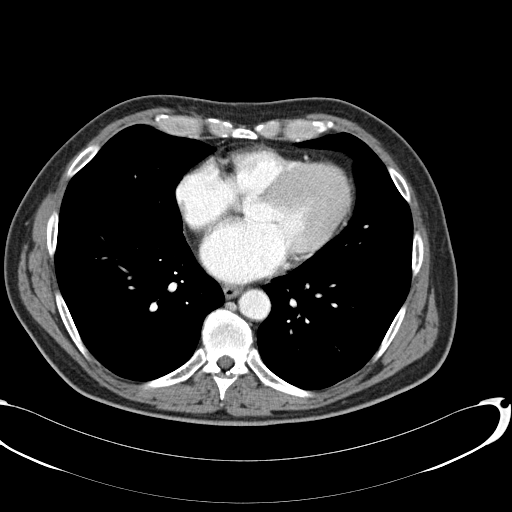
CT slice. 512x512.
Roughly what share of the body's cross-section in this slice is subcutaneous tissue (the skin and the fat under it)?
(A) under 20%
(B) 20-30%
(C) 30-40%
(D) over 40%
Answer: (A) under 20%
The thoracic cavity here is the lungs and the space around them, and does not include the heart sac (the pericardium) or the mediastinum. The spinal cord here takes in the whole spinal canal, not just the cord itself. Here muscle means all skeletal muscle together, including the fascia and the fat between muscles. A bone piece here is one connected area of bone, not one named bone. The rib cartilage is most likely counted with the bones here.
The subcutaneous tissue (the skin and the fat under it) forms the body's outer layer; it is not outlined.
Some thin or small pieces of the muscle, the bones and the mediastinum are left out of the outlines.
{"bones":[{"outer":[[218,308],[233,312],[247,322],[253,332],[253,346],[272,372],[297,387],[312,391],[314,396],[300,397],[277,390],[263,384],[251,370],[226,389],[222,400],[212,376],[198,370],[184,381],[142,388],[142,383],[171,372],[191,357],[201,343],[204,319]],"hole":[[222,356],[228,356],[230,358],[231,358],[232,359],[232,360],[233,361],[233,364],[229,368],[227,368],[226,369],[223,369],[222,368],[221,368],[219,366],[219,365],[218,364],[218,363],[217,362],[218,361],[218,360]]},[[161,113],[200,119],[213,117],[229,121],[235,127],[245,128],[251,128],[272,119],[285,122],[299,118],[331,121],[336,127],[317,137],[300,141],[265,137],[256,139],[218,137],[209,134],[204,134],[197,139],[170,134],[156,128],[153,125],[153,119]],[[56,290],[59,290],[83,343],[98,363],[94,361],[90,361],[88,360],[82,354],[72,340],[61,319],[61,317],[59,314],[59,312],[57,308],[57,305],[55,300],[55,296],[54,295],[54,292]],[[404,302],[406,302],[407,304],[406,306],[406,310],[405,311],[405,314],[403,317],[403,319],[399,326],[399,328],[397,332],[386,349],[378,358],[378,359],[374,362],[372,362],[371,363],[369,362],[368,363],[374,353],[378,349],[393,319]],[[94,143],[97,143],[101,146],[101,147],[99,149],[99,150],[95,154],[95,155],[71,178],[68,178],[66,176],[66,172],[69,168],[69,167],[71,165],[71,164],[73,162],[73,161],[76,158],[76,157],[87,146],[88,146],[91,144],[93,144]],[[53,210],[56,210],[58,212],[58,222],[57,223],[57,242],[56,243],[56,247],[55,248],[54,257],[53,258],[53,260],[52,260],[49,255],[49,252],[48,251],[48,249],[47,248],[47,221],[48,220],[48,218],[49,217],[50,214]],[[415,231],[419,231],[421,235],[422,240],[423,241],[423,257],[422,258],[422,261],[421,262],[421,265],[419,268],[419,270],[417,274],[415,276],[415,277],[413,279],[412,279],[412,270],[411,269],[411,262],[412,261],[412,244],[413,243],[413,235]],[[386,166],[390,166],[394,168],[403,177],[403,178],[405,180],[406,182],[406,184],[409,190],[409,193],[410,194],[410,203],[408,203],[401,195],[400,192],[398,190],[394,182],[392,180],[388,172],[388,170]]],"spinal_cord":[[[222,356],[228,356],[230,358],[231,358],[232,359],[232,360],[233,361],[233,364],[229,368],[227,368],[226,369],[223,369],[222,368],[221,368],[219,366],[219,365],[218,364],[218,363],[217,362],[218,361],[218,360]]],"torso":[[[148,94],[218,101],[333,97],[367,110],[397,131],[417,153],[435,184],[457,270],[455,331],[437,371],[404,392],[355,411],[311,421],[255,426],[152,417],[107,405],[72,388],[42,355],[10,305],[3,274],[8,228],[36,175],[76,131],[107,108]]],"mediastinum":[[[216,280],[224,284],[235,284],[241,286],[257,282],[266,282],[270,280],[269,282],[262,286],[262,289],[270,300],[271,308],[267,317],[259,324],[255,332],[255,335],[251,326],[241,316],[233,311],[220,307],[224,303],[225,298],[224,293]],[[213,136],[218,138],[235,138],[248,140],[265,138],[297,142],[295,144],[298,147],[302,148],[342,152],[352,160],[352,164],[351,167],[350,161],[337,153],[329,151],[286,148],[263,141],[230,142],[220,145],[216,149],[213,145],[199,139],[202,137]]],"muscle":[[[155,107],[167,107],[177,113],[195,113],[207,117],[161,112],[153,117],[152,125],[135,123],[122,128],[102,145],[97,142],[87,145],[66,170],[65,176],[69,180],[59,210],[53,209],[46,221],[46,248],[53,261],[58,286],[53,292],[56,308],[71,340],[88,361],[99,362],[123,379],[143,382],[139,386],[144,390],[184,382],[198,371],[209,374],[222,401],[227,389],[250,371],[265,386],[292,396],[312,398],[315,396],[313,390],[331,387],[367,363],[379,359],[404,319],[408,305],[405,300],[411,280],[418,274],[424,257],[422,235],[413,228],[410,190],[404,177],[394,167],[386,165],[363,140],[346,131],[325,133],[337,127],[333,121],[300,117],[282,121],[274,118],[310,113],[329,114],[359,125],[379,141],[412,186],[430,244],[429,286],[434,288],[439,318],[438,333],[432,347],[387,378],[339,400],[309,409],[273,410],[270,415],[236,416],[224,409],[205,413],[159,409],[152,404],[125,398],[100,385],[27,310],[17,285],[18,264],[24,244],[31,243],[34,215],[68,162],[111,122]]],"thoracic_cavity":[[[135,124],[147,124],[167,134],[196,139],[215,148],[182,176],[174,195],[185,240],[198,263],[217,282],[224,298],[223,303],[203,319],[200,343],[190,357],[171,371],[146,381],[115,374],[90,352],[59,289],[54,264],[59,211],[70,179],[110,138]],[[336,132],[346,132],[363,141],[385,165],[395,187],[408,204],[413,229],[411,279],[403,303],[369,360],[335,384],[311,390],[272,371],[254,346],[254,336],[272,308],[263,286],[309,258],[336,236],[352,216],[356,198],[353,160],[339,150],[296,144]]],"pericardium":[[[240,142],[263,142],[286,149],[337,154],[349,161],[355,188],[355,198],[351,215],[347,223],[336,235],[297,266],[285,273],[266,281],[257,281],[242,285],[219,281],[199,263],[186,239],[182,217],[175,195],[175,190],[186,173],[215,152],[220,146]]]}